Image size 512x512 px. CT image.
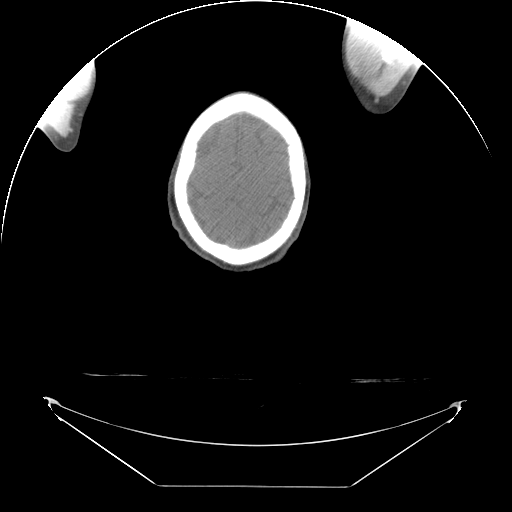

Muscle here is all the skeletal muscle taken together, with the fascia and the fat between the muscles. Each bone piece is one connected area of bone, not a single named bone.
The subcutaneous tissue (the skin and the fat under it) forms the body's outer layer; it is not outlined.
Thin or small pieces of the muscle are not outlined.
Outlined structures:
head: 236 90; 250 90; 264 96; 293 122; 301 136; 311 173; 309 207; 298 239; 279 262; 247 273; 232 273; 224 271; 190 251; 180 240; 176 231; 172 227; 166 205; 166 183; 168 174; 176 152; 180 147; 188 128; 200 112; 212 102
left arm: 348 16; 354 18; 356 21; 361 22; 379 31; 399 43; 414 54; 422 62; 422 65; 416 71; 413 80; 402 99; 394 108; 386 113; 373 114; 366 111; 356 99; 344 75; 341 65; 340 47; 341 46; 342 34; 345 29; 345 24
right arm: 94 56; 96 85; 92 99; 88 106; 88 108; 83 119; 79 139; 76 146; 72 150; 68 152; 64 152; 58 150; 53 146; 46 136; 45 133; 40 128; 37 126; 36 127; 35 125; 45 111; 46 108; 58 92; 86 64; 87 64
muscle 1: 353 20; 361 22; 384 34; 382 40; 381 53; 380 54; 381 55; 381 59; 387 64; 389 65; 394 63; 398 59; 405 48; 418 58; 407 74; 387 97; 378 98; 371 95; 364 90; 354 78; 348 68; 345 54; 345 42; 348 28
muscle 2: 88 63; 89 63; 91 77; 90 78; 88 91; 82 101; 81 108; 80 109; 79 114; 77 117; 77 124; 73 132; 73 135; 71 137; 69 138; 61 138; 43 120; 40 118; 45 111; 46 108; 58 92; 86 64
muscle 3: 177 159; 177 163; 176 164; 176 167; 174 171; 174 175; 173 176; 173 180; 172 181; 172 196; 173 197; 173 202; 174 203; 174 205; 177 212; 177 215; 179 217; 188 235; 195 243; 195 244; 204 252; 209 254; 216 259; 226 264; 228 264; 229 265; 232 266; 243 266; 244 265; 248 265; 249 264; 251 264; 252 263; 260 261; 268 257; 270 255; 273 254; 277 250; 278 250; 292 235; 300 219; 300 217; 303 210; 304 203; 305 202; 305 197; 305 206; 304 207; 304 213; 302 216; 302 219; 301 220; 300 225; 293 239; 289 243; 289 244; 285 248; 285 249; 280 253; 279 253; 276 256; 268 260; 266 260; 263 262; 261 262; 260 263; 258 263; 251 266; 234 267; 233 266; 230 266; 226 265; 219 261; 214 260; 200 253; 196 249; 195 249; 184 237; 184 235; 182 233; 177 223; 176 217; 175 216; 175 213; 173 209; 173 204; 172 203; 172 198; 171 197; 171 178; 172 177; 172 174; 174 170; 174 166; 176 163
brain: 242 113; 248 114; 263 121; 275 130; 285 142; 289 180; 292 190; 292 199; 284 218; 280 225; 273 233; 266 238; 253 244; 243 247; 235 247; 212 239; 201 227; 189 203; 188 182; 196 164; 198 144; 204 134; 214 124; 234 114
bones 1: 236 91; 249 91; 258 94; 277 106; 297 129; 303 142; 306 160; 306 193; 299 219; 291 235; 273 253; 260 260; 243 265; 226 263; 200 248; 189 235; 178 215; 173 196; 173 181; 178 163; 178 153; 188 128; 200 112; 212 102, around a hole outlined by 242 113; 248 114; 263 121; 275 130; 285 142; 289 180; 292 190; 292 199; 284 218; 280 225; 273 233; 266 238; 253 244; 243 247; 235 247; 212 239; 201 227; 189 203; 188 182; 196 164; 198 144; 204 134; 214 124; 234 114
bones 2: 385 35; 386 35; 391 39; 394 40; 396 42; 399 43; 402 46; 404 47; 404 49; 400 53; 397 59; 394 62; 392 63; 390 63; 389 64; 382 59; 382 55; 381 54; 382 53; 382 45; 383 44; 383 40; 384 39; 384 36